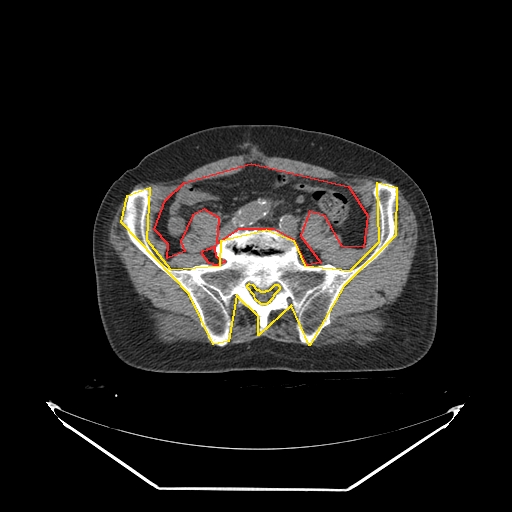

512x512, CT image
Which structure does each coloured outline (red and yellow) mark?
red: abdominal cavity; yellow: bones.
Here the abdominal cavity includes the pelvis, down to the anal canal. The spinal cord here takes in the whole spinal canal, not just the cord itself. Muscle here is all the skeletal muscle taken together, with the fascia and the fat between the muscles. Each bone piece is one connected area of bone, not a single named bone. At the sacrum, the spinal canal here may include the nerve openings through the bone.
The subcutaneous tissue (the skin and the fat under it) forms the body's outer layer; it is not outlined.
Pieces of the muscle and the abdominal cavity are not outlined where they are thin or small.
Outlines:
abdominal cavity 1: 251,163 348,186 367,215 363,247 342,246 325,216 309,211 300,235 320,262 307,265 294,240 273,229 238,229 217,243 219,218 204,209 192,215 180,241 184,251 167,258 168,244 154,229 165,200 184,182
abdominal cavity 2: 215,245 214,247 214,251 215,252 215,255 218,258 220,258 224,260 224,262 220,264 218,264 217,265 214,265 213,264 209,263 202,254 202,251 203,250 207,249 208,248 210,248 211,247 213,247
bones: 377,182 396,187 395,235 343,286 309,345 291,305 258,335 258,316 236,295 228,341 213,344 189,294 121,222 127,195 149,187 146,239 170,269 220,265 221,240 266,229 293,240 304,265 350,270 379,241 with a hole at 249,283 252,284 256,289 258,289 260,291 265,291 266,290 268,290 270,289 275,284 277,284 279,286 279,289 273,295 272,298 269,301 269,302 268,302 266,304 261,304 255,299 254,295 247,287 247,285
muscle 1: 244,153 285,156 340,172 376,176 393,181 404,193 415,210 418,237 408,279 387,313 382,338 363,345 310,345 330,324 344,286 396,235 398,194 390,181 377,181 371,190 380,219 377,244 350,269 329,262 320,264 321,252 304,241 301,226 306,214 318,212 328,222 329,230 340,236 342,247 363,248 368,215 360,196 339,180 286,173 258,162 227,175 184,181 154,214 155,237 166,242 164,255 170,259 185,251 181,241 191,230 193,215 204,210 215,213 217,241 201,251 208,263 174,269 155,254 145,231 151,188 132,188 141,182 181,178 204,164
muscle 2: 126,196 124,211 120,222 125,229 128,239 188,294 199,315 199,324 205,332 207,339 212,344 178,341 164,342 158,339 154,333 153,326 144,304 140,300 139,295 135,291 128,275 108,241 111,221 117,207
muscle 3: 234,296 237,297 236,301 239,305 253,311 257,316 258,336 261,336 264,333 272,311 287,311 291,306 296,315 295,329 301,343 276,341 261,336 249,342 227,344 230,338 232,326 232,320 227,307 230,305
spinal cord: 249,283 252,284 256,289 258,289 260,291 265,291 266,290 268,290 270,289 275,284 277,284 279,286 279,289 273,295 272,298 269,301 269,302 268,302 266,304 261,304 255,299 254,295 247,287 247,285
torso: 240,123 279,124 345,138 383,154 420,187 433,220 438,260 436,333 430,349 421,359 405,368 380,371 270,369 174,373 135,368 116,356 107,341 99,314 92,256 93,225 104,194 125,170 158,147 203,128